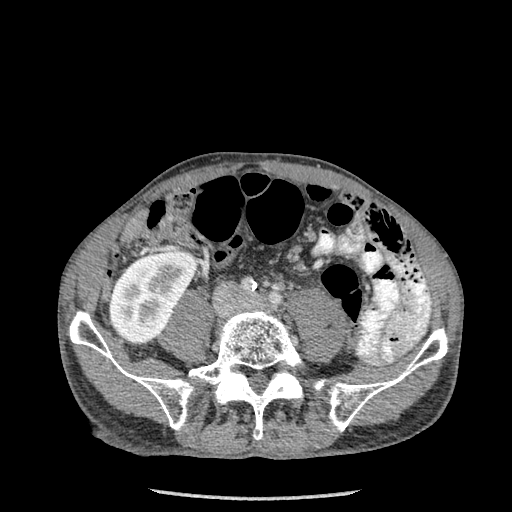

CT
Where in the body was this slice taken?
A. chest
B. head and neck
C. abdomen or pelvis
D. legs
Answer: C. abdomen or pelvis
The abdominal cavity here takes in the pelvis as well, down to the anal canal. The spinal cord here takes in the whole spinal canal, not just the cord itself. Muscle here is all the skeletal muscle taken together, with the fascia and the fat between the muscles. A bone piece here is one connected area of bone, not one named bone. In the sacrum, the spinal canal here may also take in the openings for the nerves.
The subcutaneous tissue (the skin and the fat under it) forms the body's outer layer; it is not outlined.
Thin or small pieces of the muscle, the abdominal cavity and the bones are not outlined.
The spinal cord is outlined by [[279,361],[284,362],[284,368],[277,374],[268,378],[265,383],[265,385],[263,387],[263,389],[262,389],[259,393],[255,391],[250,385],[246,373],[243,373],[232,369],[234,365],[241,365],[249,369],[262,371],[268,368],[273,363]]. The bones appear in 3 outlined pieces: piece 1: [[254,310],[267,311],[283,321],[304,363],[302,370],[295,374],[303,389],[303,399],[272,400],[263,411],[263,437],[259,440],[252,437],[255,421],[249,403],[232,400],[219,404],[214,384],[187,374],[191,368],[207,365],[216,359],[220,327],[230,316]], around a hole outlined by [[279,361],[284,362],[284,368],[277,374],[268,378],[265,383],[265,385],[263,387],[263,389],[262,389],[259,393],[255,391],[250,385],[246,373],[243,373],[232,369],[234,365],[241,365],[249,369],[262,371],[268,368],[273,363]]; piece 2: [[78,309],[89,313],[92,322],[102,335],[112,355],[125,370],[140,376],[180,378],[195,387],[186,405],[187,417],[185,425],[179,430],[172,429],[168,424],[165,412],[145,387],[123,374],[108,358],[97,351],[88,346],[75,344],[70,341],[68,327]]; piece 3: [[443,326],[448,339],[448,350],[443,357],[420,366],[401,381],[377,393],[364,405],[344,431],[341,432],[331,423],[328,417],[330,405],[328,403],[329,395],[327,389],[333,382],[340,381],[349,384],[363,384],[387,381],[396,377],[413,359],[432,330]]. The abdominal cavity is outlined by [[247,166],[365,195],[399,221],[433,307],[429,333],[413,351],[384,367],[301,377],[305,363],[284,321],[254,309],[220,325],[216,357],[203,364],[213,311],[196,288],[184,292],[158,337],[192,367],[186,373],[131,355],[102,327],[100,290],[129,217]]; inner edge: [[303,290],[313,290],[325,295],[337,304],[342,315],[345,328],[343,335],[343,344],[340,351],[329,361],[311,362],[302,355],[300,349],[301,348],[300,334],[297,324],[288,313],[288,310],[286,308],[286,301],[288,296],[291,294],[296,292],[300,292]]. The torso is outlined by [[221,150],[289,152],[333,162],[395,200],[439,240],[459,274],[465,309],[455,389],[444,413],[432,426],[391,446],[303,459],[143,457],[111,446],[88,431],[69,389],[59,353],[56,305],[63,267],[82,238],[154,176],[190,156]]. The muscle appears in 3 outlined pieces: piece 1: [[237,161],[291,162],[292,163],[297,163],[298,164],[303,164],[304,165],[330,169],[340,173],[358,182],[369,189],[380,198],[392,203],[404,213],[407,214],[435,241],[441,251],[445,255],[446,259],[450,264],[454,272],[460,290],[460,296],[461,297],[460,325],[451,351],[444,364],[437,381],[422,398],[407,410],[381,423],[373,425],[354,426],[348,429],[330,445],[314,449],[311,451],[307,451],[302,454],[276,455],[262,451],[257,447],[252,447],[238,453],[214,454],[210,452],[200,451],[189,446],[183,446],[175,439],[173,435],[173,431],[166,425],[114,407],[107,402],[103,398],[102,395],[84,377],[80,365],[77,362],[76,357],[74,355],[74,353],[64,334],[62,306],[61,305],[61,293],[62,292],[62,285],[64,281],[63,278],[65,275],[69,262],[79,247],[100,226],[105,223],[111,217],[123,210],[136,200],[138,197],[158,182],[169,178],[176,174],[181,173],[184,171],[188,171],[198,167],[207,165],[213,165],[214,164],[220,164],[221,163],[227,163],[228,162],[236,162]] with holes at [[247,166],[383,206],[423,269],[429,332],[445,328],[446,354],[377,393],[342,432],[330,385],[396,377],[427,335],[396,363],[358,365],[320,391],[297,374],[303,399],[272,400],[255,440],[249,403],[219,404],[214,384],[131,355],[97,320],[129,217]] and at [[78,309],[89,313],[92,322],[102,335],[112,355],[125,370],[140,376],[180,378],[195,387],[186,405],[187,417],[185,425],[179,430],[172,429],[168,424],[165,412],[145,387],[123,374],[108,358],[97,351],[88,346],[75,344],[70,341],[68,327]]; piece 2: [[303,290],[313,290],[325,295],[337,304],[342,315],[345,328],[343,335],[343,344],[340,351],[329,361],[311,362],[302,355],[300,349],[301,348],[300,334],[297,324],[288,313],[288,310],[286,308],[286,301],[288,296],[291,294],[296,292],[300,292]]; piece 3: [[191,289],[196,289],[201,291],[207,300],[212,311],[212,326],[210,331],[210,342],[207,353],[207,360],[202,364],[196,366],[188,365],[184,361],[174,356],[171,353],[167,352],[161,346],[159,341],[159,337],[167,326],[168,322],[178,302],[185,292]].